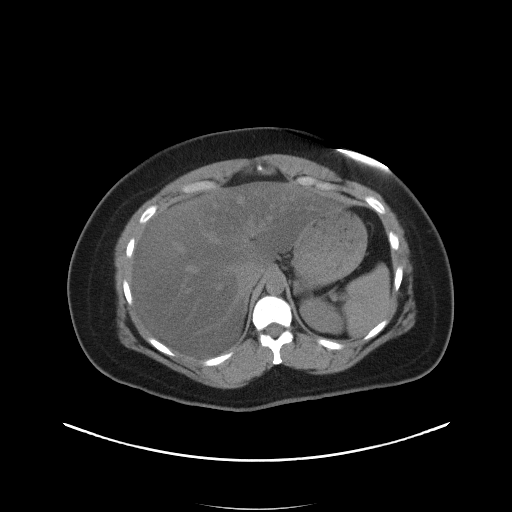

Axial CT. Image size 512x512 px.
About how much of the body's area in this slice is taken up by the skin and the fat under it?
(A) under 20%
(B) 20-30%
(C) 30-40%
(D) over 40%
Answer: (C) 30-40%
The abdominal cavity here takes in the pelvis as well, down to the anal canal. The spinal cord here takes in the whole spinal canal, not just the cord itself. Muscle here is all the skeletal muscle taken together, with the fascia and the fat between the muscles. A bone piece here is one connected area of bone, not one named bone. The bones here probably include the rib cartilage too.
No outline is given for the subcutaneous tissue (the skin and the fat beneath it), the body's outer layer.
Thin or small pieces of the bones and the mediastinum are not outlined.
The torso is outlined by [[254,126],[297,128],[330,139],[394,172],[420,201],[445,246],[454,290],[450,338],[440,361],[427,374],[394,386],[238,412],[182,404],[116,382],[100,372],[87,358],[72,325],[66,285],[75,243],[99,200],[120,177],[166,146],[201,134]]. The mediastinum is outlined by [[272,271],[279,271],[282,273],[283,277],[285,280],[285,282],[287,285],[287,301],[280,296],[273,295],[272,294],[266,294],[265,295],[263,295],[258,299],[259,291],[261,289],[262,284],[264,281],[264,278],[265,278],[266,276],[267,276]]. The spinal cord is outlined by [[272,323],[276,323],[277,324],[278,324],[279,325],[282,326],[284,328],[283,331],[277,337],[273,337],[272,336],[271,336],[269,334],[267,334],[266,333],[265,333],[265,332],[264,331],[265,330],[266,327]]. The abdominal cavity is outlined by [[255,170],[261,174],[277,170],[301,184],[334,190],[379,215],[394,270],[389,311],[363,337],[319,336],[293,317],[284,275],[272,270],[263,278],[243,337],[231,349],[205,359],[175,353],[150,334],[134,307],[130,271],[136,241],[157,210],[179,196]]. The bones appear in 13 outlined pieces: piece 1: [[266,295],[272,295],[282,298],[289,304],[291,308],[292,321],[290,330],[293,334],[293,339],[281,346],[279,350],[281,363],[279,364],[273,364],[273,352],[268,347],[262,346],[260,344],[258,339],[259,334],[252,323],[252,312],[254,305],[261,297]] with a hole at [[272,323],[276,323],[277,324],[278,324],[279,325],[282,326],[284,328],[283,331],[277,337],[273,337],[272,336],[271,336],[269,334],[267,334],[266,333],[265,333],[265,332],[264,331],[265,330],[266,327]]; piece 2: [[204,180],[210,180],[211,181],[213,181],[215,183],[215,185],[213,187],[211,187],[207,189],[204,189],[203,190],[200,190],[199,191],[191,192],[190,193],[185,193],[181,191],[181,187],[183,185],[193,183],[194,182],[197,182],[198,181],[203,181]]; piece 3: [[300,176],[309,176],[319,181],[322,181],[323,182],[328,182],[329,183],[331,183],[332,184],[336,185],[337,186],[337,188],[336,189],[323,189],[322,188],[317,187],[313,184],[312,185],[304,184],[303,183],[299,182],[297,180],[297,177],[299,177]]; piece 4: [[229,351],[232,351],[233,352],[232,355],[229,358],[226,359],[224,361],[223,361],[221,363],[217,365],[206,366],[205,365],[203,365],[202,363],[202,361],[203,360],[205,360],[206,359],[208,359],[212,357],[218,356],[223,353],[225,353]]; piece 5: [[368,195],[369,195],[370,196],[373,196],[375,198],[376,198],[383,205],[383,206],[385,209],[385,213],[384,213],[383,214],[379,214],[377,212],[376,212],[371,207],[370,207],[368,205],[368,204],[364,200],[364,197],[365,196],[367,196]]; piece 6: [[150,336],[155,338],[158,341],[159,341],[161,343],[162,343],[164,345],[165,345],[168,348],[169,348],[175,354],[175,355],[174,356],[169,356],[168,355],[167,355],[166,354],[159,351],[157,349],[156,349],[147,340],[148,337],[149,337]]; piece 7: [[318,337],[322,337],[323,338],[326,338],[327,339],[330,339],[331,340],[335,340],[336,341],[337,341],[339,343],[341,343],[343,345],[343,347],[341,349],[329,349],[328,348],[327,348],[326,347],[325,347],[324,346],[319,344],[317,342],[317,338]]; piece 8: [[153,204],[156,204],[157,205],[157,209],[156,210],[156,211],[155,212],[155,213],[145,223],[140,223],[139,222],[139,218],[140,217],[140,216],[141,215],[141,214],[144,211],[144,210],[148,206],[149,206],[150,205],[152,205]]; piece 9: [[384,319],[386,319],[388,321],[387,322],[386,325],[383,328],[383,329],[381,331],[380,331],[375,336],[374,336],[367,340],[364,340],[363,339],[364,336],[365,336],[368,333],[368,332],[369,332],[370,331],[370,330],[371,330],[375,326],[376,326]]; piece 10: [[398,266],[401,266],[402,267],[402,279],[401,280],[401,283],[400,284],[400,285],[399,286],[399,288],[396,291],[395,291],[394,290],[394,273],[395,272],[395,269]]; piece 11: [[124,279],[126,279],[130,287],[130,290],[131,291],[131,295],[132,296],[132,304],[131,305],[130,305],[127,302],[126,300],[126,298],[125,297],[125,295],[124,294],[124,292],[123,291],[123,280]]; piece 12: [[389,231],[392,231],[397,236],[397,237],[398,238],[398,240],[399,241],[399,246],[398,247],[398,248],[396,250],[393,250],[392,249],[391,249],[391,248],[390,247],[390,243],[389,242],[389,240],[388,239],[388,232]]; piece 13: [[132,237],[133,238],[134,238],[134,239],[135,240],[135,243],[134,244],[134,249],[133,250],[133,253],[132,254],[132,256],[130,258],[129,258],[126,256],[126,253],[125,252],[125,251],[126,250],[126,246],[127,245],[127,244],[128,243],[129,240]]. The muscle is outlined by [[272,153],[315,161],[382,196],[403,227],[410,252],[416,308],[413,326],[339,372],[313,374],[281,364],[282,346],[294,339],[291,330],[293,318],[318,336],[316,342],[329,350],[344,347],[336,340],[362,338],[367,341],[375,337],[389,321],[386,317],[394,291],[402,283],[403,267],[398,265],[394,269],[392,250],[399,248],[400,241],[392,230],[386,231],[380,217],[386,209],[376,197],[365,195],[366,205],[355,196],[337,189],[334,183],[309,175],[289,178],[277,169],[268,171],[259,163],[254,170],[236,172],[223,182],[204,179],[183,184],[180,187],[182,195],[159,208],[156,203],[148,205],[138,218],[138,222],[144,225],[137,239],[132,236],[125,246],[125,256],[131,258],[131,262],[129,283],[126,278],[122,280],[122,291],[150,335],[146,340],[169,357],[178,354],[202,360],[206,367],[217,366],[233,355],[230,350],[242,340],[251,322],[259,344],[272,352],[271,361],[275,365],[244,386],[217,388],[123,345],[117,334],[114,248],[133,213],[166,184],[191,170],[217,161]].